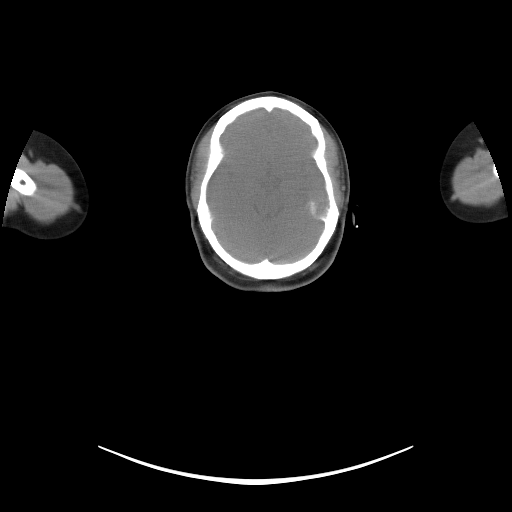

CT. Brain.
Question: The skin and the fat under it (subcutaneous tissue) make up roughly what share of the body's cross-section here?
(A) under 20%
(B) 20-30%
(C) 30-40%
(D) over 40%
Answer: (B) 20-30%
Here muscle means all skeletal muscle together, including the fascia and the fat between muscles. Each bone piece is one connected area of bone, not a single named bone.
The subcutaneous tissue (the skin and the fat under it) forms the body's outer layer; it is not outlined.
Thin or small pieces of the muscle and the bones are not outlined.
The right arm is outlined by 35 129; 38 129; 54 138; 71 154; 77 162; 89 189; 90 206; 85 221; 75 232; 60 239; 40 240; 28 237; 15 230; 3 228; 3 217; 9 195; 8 188; 11 186; 11 181; 15 169; 20 161; 23 148; 25 147; 33 130. The bones appear in 2 outlined pieces: piece 1: 267 95; 291 100; 319 121; 326 145; 324 155; 327 170; 339 211; 335 230; 321 254; 305 269; 279 279; 256 279; 244 275; 229 266; 212 249; 202 232; 196 212; 200 185; 208 159; 209 141; 215 123; 222 114; 236 104; 246 99, around a hole outlined by 275 108; 301 120; 315 139; 310 155; 323 179; 326 205; 317 215; 323 226; 311 249; 295 260; 274 262; 265 257; 248 262; 234 256; 219 240; 213 228; 214 216; 207 190; 225 156; 221 136; 226 128; 243 114; 257 109; 269 113; piece 2: 17 166; 18 166; 21 169; 24 170; 27 173; 27 174; 35 182; 37 188; 33 195; 31 196; 28 196; 27 195; 23 195; 21 194; 17 190; 14 189; 13 187; 11 186; 11 181; 12 180; 12 178; 13 177; 15 169. The brain is outlined by 275 108; 301 120; 315 139; 310 155; 323 179; 326 205; 317 215; 323 226; 311 249; 295 260; 274 262; 265 257; 248 262; 234 256; 219 240; 213 228; 214 216; 207 190; 225 156; 221 136; 226 128; 243 114; 257 109; 269 113; inner edge: 311 201; 314 201; 315 202; 316 202; 316 203; 317 204; 317 207; 316 208; 316 209; 315 210; 315 212; 314 213; 312 213; 311 212; 311 210; 310 209; 310 205; 309 204; 310 203; 310 202. The head is outlined by 266 90; 297 97; 330 122; 346 154; 349 201; 359 206; 354 209; 359 225; 346 214; 329 268; 314 281; 281 292; 244 291; 213 275; 200 258; 188 208; 184 206; 180 222; 176 209; 185 199; 190 150; 205 121; 226 103. The muscle appears in 6 outlined pieces: piece 1: 23 156; 29 159; 42 158; 48 163; 56 163; 65 170; 73 182; 75 201; 69 212; 58 217; 53 222; 47 224; 39 223; 17 212; 8 213; 6 211; 9 187; 12 187; 21 195; 28 197; 33 196; 38 188; 36 182; 18 165; piece 2: 476 147; 481 147; 491 157; 491 159; 493 162; 491 167; 492 175; 499 182; 501 187; 501 197; 500 199; 497 203; 488 207; 486 206; 472 206; 460 203; 458 201; 456 194; 454 192; 451 185; 451 175; 455 165; 465 155; 471 154; piece 3: 321 124; 322 124; 334 137; 337 143; 337 146; 340 155; 340 159; 343 168; 343 184; 344 185; 344 190; 343 191; 342 207; 340 211; 336 202; 336 199; 334 194; 334 187; 333 186; 332 178; 328 170; 328 165; 325 155; 327 145; piece 4: 214 123; 208 141; 207 159; 205 163; 205 169; 199 185; 199 194; 198 195; 198 199; 195 208; 193 206; 192 198; 191 197; 191 174; 192 173; 192 167; 194 161; 194 156; 196 152; 196 148; 200 139; 205 132; piece 5: 212 250; 229 267; 230 267; 233 270; 236 271; 238 273; 244 276; 246 276; 247 277; 249 277; 256 280; 247 280; 246 279; 241 279; 236 275; 230 274; 226 270; 225 270; 221 266; 220 266; 220 265; 213 258; 212 256; piece 6: 323 252; 322 254; 322 259; 320 263; 313 270; 303 275; 296 275; 294 277; 290 279; 280 279; 284 279; 285 278; 290 277; 295 274; 297 274; 305 270; 308 267; 309 267; 322 254. The left arm is outlined by 470 121; 473 122; 478 130; 497 171; 507 212; 507 218; 505 220; 500 220; 485 224; 472 224; 464 222; 456 218; 449 212; 444 205; 440 196; 439 186; 438 185; 438 177; 439 176; 439 171; 442 160; 452 140; 459 131.